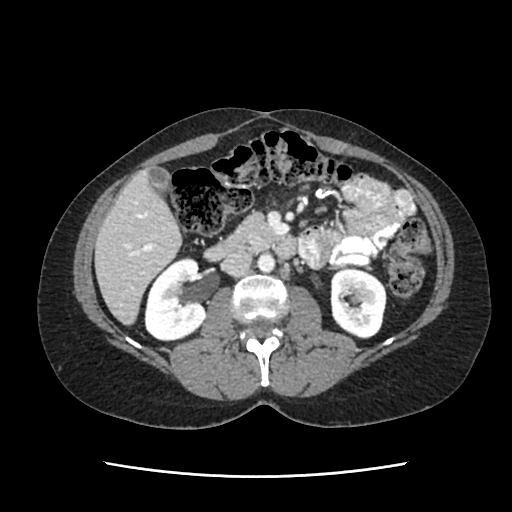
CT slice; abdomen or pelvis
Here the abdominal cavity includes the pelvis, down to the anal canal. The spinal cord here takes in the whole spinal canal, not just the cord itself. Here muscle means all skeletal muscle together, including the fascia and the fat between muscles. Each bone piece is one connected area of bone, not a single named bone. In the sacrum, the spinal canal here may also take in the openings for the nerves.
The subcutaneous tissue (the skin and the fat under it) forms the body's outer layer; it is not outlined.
Outlines:
muscle: 215,401 245,399 264,388 286,397 303,398 315,396 333,387 354,371 367,367 418,338 444,308 450,293 454,272 454,244 450,228 438,203 423,184 389,159 368,149 332,137 316,135 261,115 250,117 225,131 202,134 156,153 128,169 101,193 83,223 74,251 72,271 74,294 81,308 87,317 107,334 107,341 110,345 152,366 178,382 189,392; inner edge: 263,387 269,384 269,356 283,335 278,325 288,311 285,284 307,287 322,314 322,328 349,336 357,347 378,343 380,348 421,314 436,272 433,236 396,175 372,162 320,150 311,138 268,127 221,137 210,149 137,173 106,216 92,263 99,306 128,334 124,339 142,351 142,343 168,348 197,336 212,293 233,286 230,311 241,324 240,341 258,359
bones 1: 263,387 269,384 269,356 280,346 280,339 283,335 278,325 288,311 287,290 282,282 271,276 262,277 252,275 240,280 234,286 230,311 232,317 241,324 240,341 246,350 253,353 258,359 261,371 260,384, around a hole outlined by 264,337 266,337 271,333 271,332 273,330 273,324 271,322 270,322 269,320 267,320 266,319 264,319 262,318 261,319 258,319 254,321 252,323 251,325 251,330 252,332 255,335 257,335 258,336 263,336
bones 2: 142,351 146,351 146,349 145,348 145,347 143,345 142,345 140,343 139,343 137,341 136,341 134,339 133,339 128,335 124,335 124,339 128,343 129,343 131,345 132,345 137,349 138,349 139,350 141,350
bones 3: 378,348 380,348 381,347 383,347 384,346 386,346 387,345 389,345 394,340 395,340 396,337 395,336 394,336 393,337 390,338 388,340 387,340 384,342 382,342 381,343 380,343 378,345
abdominal cavity: 168,348 198,335 213,292 252,274 306,286 322,314 322,328 349,336 357,347 399,333 425,308 436,272 433,236 412,194 379,165 268,127 221,137 210,149 137,173 98,232 92,271 98,304 110,318 139,342
spinal cord: 264,337 266,337 271,333 271,332 273,330 273,324 271,322 270,322 269,320 267,320 266,319 264,319 262,318 261,319 258,319 254,321 252,323 251,325 251,330 252,332 255,335 257,335 258,336 263,336
torso: 182,430 219,426 260,405 309,426 365,426 422,412 453,394 483,345 492,308 481,237 452,189 362,125 304,108 221,107 193,114 143,140 89,181 61,215 43,256 36,313 45,355 61,384 88,407 144,426